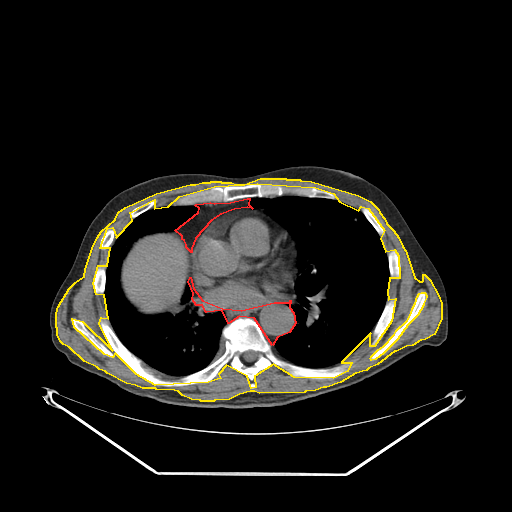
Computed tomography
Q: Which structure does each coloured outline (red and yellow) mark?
A: red: mediastinum; yellow: muscle.
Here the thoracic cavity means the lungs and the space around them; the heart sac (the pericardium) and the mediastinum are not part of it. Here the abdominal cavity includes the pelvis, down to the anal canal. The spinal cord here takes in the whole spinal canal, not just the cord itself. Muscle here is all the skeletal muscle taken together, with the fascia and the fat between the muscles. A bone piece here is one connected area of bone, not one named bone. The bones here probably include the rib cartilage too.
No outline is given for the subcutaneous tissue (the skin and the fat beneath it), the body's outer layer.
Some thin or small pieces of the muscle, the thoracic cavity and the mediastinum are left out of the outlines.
{"mediastinum":[[[190,277],[193,288],[202,300],[222,308],[241,310],[274,302],[289,302],[290,300],[289,307],[293,312],[295,323],[289,332],[277,337],[272,345],[254,318],[239,316],[228,323],[222,310],[206,312],[202,305],[196,305],[192,299],[193,293],[188,281]],[[247,198],[249,198],[248,204],[252,208],[247,207],[234,209],[220,214],[211,220],[195,238],[191,248],[191,252],[186,247],[186,244],[184,240],[182,239],[182,236],[175,230],[198,212],[199,208],[195,205],[196,204],[210,202],[214,203],[230,202]]],"muscle":[{"outer":[[260,178],[285,178],[286,179],[299,179],[300,180],[311,181],[358,195],[370,201],[378,209],[379,212],[384,218],[386,223],[393,230],[398,237],[402,246],[405,250],[414,277],[419,281],[422,281],[423,280],[423,274],[424,274],[429,279],[438,295],[441,303],[441,318],[434,334],[425,339],[420,340],[412,345],[406,346],[396,351],[394,351],[377,364],[368,368],[366,370],[355,373],[340,382],[326,387],[323,387],[315,390],[305,391],[304,392],[259,393],[254,391],[250,391],[239,394],[229,399],[214,400],[213,401],[201,401],[200,400],[191,399],[182,395],[178,391],[174,390],[156,389],[155,388],[142,388],[135,385],[126,383],[107,373],[105,371],[99,369],[97,367],[84,361],[69,347],[63,344],[60,341],[57,334],[57,328],[56,327],[56,313],[58,306],[69,288],[75,282],[84,276],[85,269],[92,248],[97,237],[101,231],[115,219],[118,212],[125,207],[156,193],[190,184],[195,184],[202,182],[210,182],[211,181],[220,181],[221,182],[231,182],[236,184],[244,184]],"holes":[[[257,183],[315,187],[333,193],[339,201],[358,210],[361,206],[368,208],[384,230],[380,238],[385,251],[394,249],[398,255],[399,278],[389,278],[387,292],[388,299],[395,298],[391,321],[374,346],[370,346],[370,333],[341,362],[351,362],[347,371],[333,378],[294,377],[273,364],[254,376],[255,387],[251,388],[247,376],[226,365],[218,374],[220,378],[208,382],[155,385],[136,374],[115,353],[112,357],[104,354],[74,327],[72,318],[82,321],[112,350],[99,323],[101,317],[108,318],[104,295],[96,294],[93,283],[98,265],[107,265],[110,248],[100,248],[107,228],[112,227],[116,237],[132,220],[130,212],[154,199],[154,208],[168,206],[179,196],[214,186]],[[421,292],[424,292],[426,295],[426,297],[423,303],[423,305],[417,315],[407,325],[397,339],[383,353],[375,359],[371,360],[370,358],[371,356],[378,349],[383,346],[394,334],[396,330],[407,320],[411,313],[412,308],[415,303],[417,296],[419,293]]]}],"torso":[[[299,165],[349,171],[380,188],[394,203],[445,287],[448,335],[440,345],[422,346],[371,377],[341,389],[284,405],[250,408],[183,406],[136,395],[71,363],[53,345],[49,313],[55,294],[74,261],[89,224],[117,193],[139,182],[168,174],[244,177]]],"spinal_cord":[[[248,350],[252,350],[253,351],[254,351],[255,352],[256,352],[258,354],[257,355],[257,358],[256,359],[256,360],[255,360],[253,362],[246,362],[245,361],[244,361],[242,359],[242,354],[244,352],[245,352],[246,351],[247,351]]],"abdominal_cavity":[[[173,231],[177,232],[181,236],[185,247],[191,254],[189,260],[189,277],[185,282],[183,292],[178,302],[179,309],[175,313],[169,311],[156,314],[142,313],[138,311],[128,301],[122,291],[120,283],[120,270],[122,262],[132,244],[140,238],[150,234]]],"thoracic_cavity":[[[285,195],[338,200],[359,210],[380,237],[386,252],[389,285],[383,309],[371,332],[357,349],[333,366],[298,365],[278,356],[272,347],[276,339],[289,333],[296,323],[290,307],[290,296],[297,276],[298,250],[289,232],[263,208],[251,207],[249,199]],[[169,205],[194,205],[197,212],[172,231],[134,241],[121,262],[119,283],[124,297],[142,314],[175,314],[186,282],[196,306],[206,313],[223,312],[222,354],[182,376],[157,371],[129,350],[114,331],[104,300],[108,255],[116,237],[141,214]]],"pericardium":[[[247,208],[264,211],[284,228],[294,240],[297,250],[297,260],[295,264],[296,276],[293,281],[292,293],[289,296],[289,301],[274,301],[256,307],[235,309],[214,305],[202,299],[192,284],[190,276],[192,248],[196,238],[211,221],[220,215],[231,211]]],"bones":[{"outer":[[74,317],[111,351],[99,323],[105,317],[122,344],[168,380],[220,357],[223,328],[239,317],[254,319],[273,352],[290,363],[352,365],[317,379],[294,377],[273,364],[254,376],[254,388],[228,365],[208,382],[155,385],[115,353],[98,349],[74,327]],"hole":[[248,350],[252,350],[253,351],[254,351],[255,352],[256,352],[258,354],[257,355],[257,358],[256,359],[256,360],[255,360],[253,362],[246,362],[245,361],[244,361],[242,359],[242,354],[244,352],[245,352],[246,351],[247,351]]},[[257,183],[258,184],[270,183],[284,186],[315,187],[333,193],[337,199],[285,194],[279,196],[267,197],[255,196],[239,198],[230,201],[201,202],[188,205],[172,204],[173,200],[179,196],[199,190],[208,189],[214,186],[224,187],[231,185],[244,185]],[[392,297],[394,297],[395,298],[395,308],[393,312],[393,315],[392,316],[391,321],[386,331],[384,333],[380,340],[374,346],[371,347],[370,346],[370,343],[372,340],[372,335],[371,333],[384,309],[384,307],[385,306],[385,304],[387,300]],[[421,292],[424,292],[426,295],[426,297],[423,303],[423,305],[417,315],[407,325],[397,339],[383,353],[375,359],[371,360],[370,358],[371,356],[378,349],[383,346],[394,334],[396,330],[407,320],[411,313],[412,308],[415,303],[417,296],[419,293]],[[100,264],[102,264],[103,265],[105,265],[105,288],[104,289],[104,292],[103,293],[103,294],[96,294],[96,293],[94,290],[94,284],[93,283],[93,279],[94,278],[94,273],[96,270],[96,268],[98,266],[98,265],[99,265]],[[391,249],[394,249],[395,250],[395,251],[398,255],[398,257],[399,258],[399,261],[400,262],[400,273],[399,274],[399,278],[398,279],[396,278],[392,278],[390,277],[390,272],[389,271],[389,262],[388,261],[388,256],[387,255],[387,253]],[[361,206],[364,206],[368,208],[376,216],[376,217],[379,220],[379,221],[382,225],[382,227],[384,230],[384,235],[382,236],[380,236],[379,235],[379,234],[376,231],[374,227],[370,223],[370,222],[366,218],[366,217],[360,210],[360,207]],[[109,227],[112,227],[114,229],[114,230],[115,231],[115,232],[114,233],[114,235],[115,236],[115,238],[114,239],[112,244],[108,248],[103,250],[100,248],[100,240],[101,239],[101,238],[102,237],[104,232],[106,230],[106,229]],[[154,199],[156,199],[157,200],[157,202],[154,205],[153,207],[146,210],[144,212],[141,213],[139,215],[138,215],[136,217],[132,219],[130,217],[130,212],[135,207],[143,203],[145,203],[148,201],[150,201]]]}